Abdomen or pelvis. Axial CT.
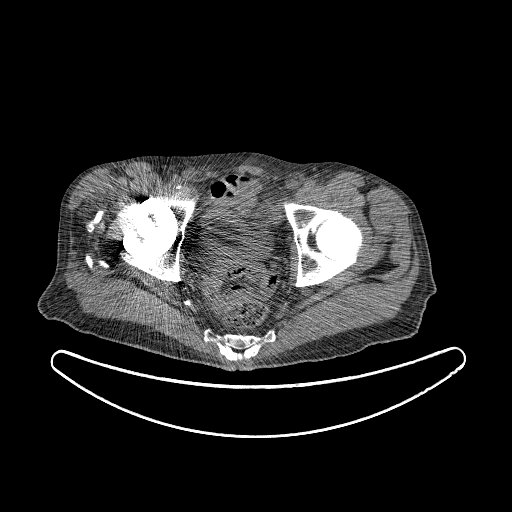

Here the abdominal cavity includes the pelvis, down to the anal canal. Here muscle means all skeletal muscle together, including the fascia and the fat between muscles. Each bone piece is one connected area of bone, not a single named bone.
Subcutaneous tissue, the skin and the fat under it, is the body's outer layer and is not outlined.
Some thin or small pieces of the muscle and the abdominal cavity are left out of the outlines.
The muscle is outlined by 132,162 184,170 251,166 272,168 285,174 304,170 353,171 395,191 411,211 410,221 419,259 416,282 393,319 323,337 250,364 228,364 200,355 148,325 83,313 65,279 69,255 70,197 88,173 98,168, around a hole outlined by 232,171 281,180 288,202 337,210 352,218 363,237 354,264 318,284 296,287 292,232 291,288 267,328 275,340 240,360 204,341 210,326 186,291 181,256 178,282 119,257 129,205 156,196 188,198 193,182. The bones appear in 3 outlined pieces: piece 1: 156,196 161,196 163,198 195,198 196,200 192,216 186,224 183,238 180,245 179,270 181,280 178,282 158,279 140,270 135,266 130,265 119,257 119,252 123,250 122,219 127,207 133,203 143,201 146,198; piece 2: 284,202 309,204 324,209 337,210 343,214 351,217 353,221 361,229 363,237 362,245 358,252 356,262 331,278 318,284 302,287 294,286 297,274 298,255 297,248 293,239 293,231 285,214 283,205; piece 3: 207,328 210,328 215,334 222,336 236,335 237,334 262,336 269,329 272,329 275,332 275,340 273,342 264,343 260,347 257,354 248,359 243,358 240,360 229,360 219,352 219,348 215,343 204,341 203,332. The abdominal cavity is outlined by 232,171 247,172 261,179 281,180 289,192 289,199 282,205 292,232 289,237 291,288 285,302 267,329 260,335 218,334 190,300 184,284 184,267 180,250 187,224 196,207 196,198 189,197 195,191 192,183. The torso is outlined by 235,151 260,152 302,163 338,161 371,172 403,190 419,212 436,284 436,292 426,303 417,333 322,361 226,371 106,340 75,330 61,321 46,319 38,311 37,301 55,271 60,202 80,172 96,164 143,155.